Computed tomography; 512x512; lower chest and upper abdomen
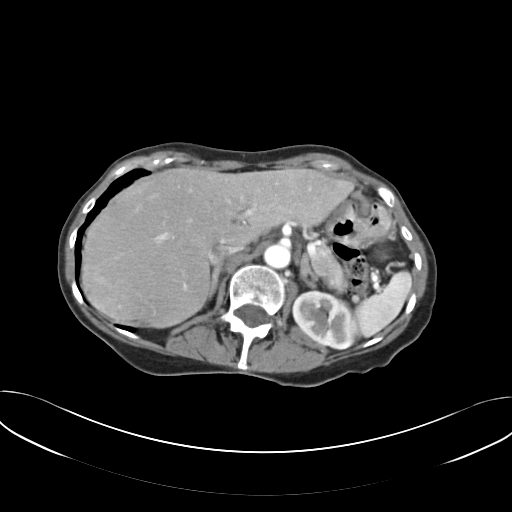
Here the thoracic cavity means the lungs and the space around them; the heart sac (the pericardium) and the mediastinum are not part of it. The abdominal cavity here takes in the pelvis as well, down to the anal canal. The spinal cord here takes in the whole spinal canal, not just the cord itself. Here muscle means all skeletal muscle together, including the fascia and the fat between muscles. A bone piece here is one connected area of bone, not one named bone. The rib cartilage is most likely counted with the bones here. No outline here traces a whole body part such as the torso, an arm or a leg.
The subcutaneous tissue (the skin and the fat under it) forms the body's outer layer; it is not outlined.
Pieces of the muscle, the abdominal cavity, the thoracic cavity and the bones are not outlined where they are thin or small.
{"spinal_cord":[[[247,304],[250,304],[254,306],[258,306],[260,307],[267,314],[267,315],[269,317],[269,319],[266,322],[261,323],[258,325],[256,325],[252,327],[251,326],[248,326],[244,322],[244,321],[236,314],[236,311],[240,307],[244,305],[246,305]]],"abdominal_cavity":[[[250,166],[309,167],[376,191],[397,222],[412,260],[411,292],[387,327],[344,349],[314,341],[289,321],[297,285],[285,285],[276,270],[260,263],[242,265],[225,276],[212,309],[159,341],[108,321],[88,305],[78,282],[81,240],[109,198],[159,169]]],"thoracic_cavity":[[[134,169],[144,169],[147,171],[147,173],[144,173],[134,178],[109,197],[105,204],[95,214],[83,230],[80,240],[80,265],[77,280],[79,288],[75,277],[74,256],[75,243],[79,228],[85,220],[86,215],[95,206],[97,199],[110,184],[114,180]]],"muscle":[{"outer":[[395,195],[424,246],[428,263],[425,291],[404,330],[375,350],[307,371],[248,370],[249,348],[255,338],[264,338],[273,327],[270,318],[283,306],[289,282],[296,285],[297,292],[289,303],[288,321],[314,342],[332,350],[344,350],[358,343],[362,343],[361,348],[371,346],[383,338],[377,335],[403,312],[407,315],[414,309],[417,297],[412,292],[413,260],[406,242],[413,235],[405,225],[399,225],[389,209],[395,205]],"hole":[[415,252],[417,252],[420,255],[420,257],[421,258],[421,269],[420,270],[418,270],[416,268],[416,267],[414,265],[414,253]]},[[225,277],[229,277],[228,305],[219,319],[228,324],[231,332],[241,335],[237,368],[183,356],[166,355],[122,342],[95,326],[74,300],[80,305],[85,302],[113,324],[113,328],[122,335],[134,340],[138,339],[139,335],[159,342],[174,328],[212,310]],{"outer":[[160,150],[188,152],[207,160],[236,160],[245,162],[272,161],[309,152],[326,153],[345,159],[356,169],[374,177],[388,187],[380,185],[376,190],[372,189],[364,184],[357,184],[352,180],[339,178],[331,174],[325,174],[323,171],[309,166],[282,168],[250,165],[232,169],[200,169],[172,166],[159,168],[149,172],[147,169],[137,168],[150,169],[167,165],[177,159],[175,156],[155,155],[134,158],[112,170],[110,174],[114,179],[98,197],[91,197],[81,208],[81,212],[85,216],[84,220],[79,226],[76,226],[72,230],[68,237],[68,247],[73,251],[74,257],[74,277],[70,283],[71,291],[65,278],[64,244],[69,227],[81,204],[118,163],[131,157],[148,155]],"hole":[[317,160],[324,160],[325,161],[327,161],[328,162],[332,162],[333,163],[335,163],[338,165],[338,168],[337,169],[332,169],[331,168],[324,168],[323,167],[320,167],[319,166],[317,166],[317,165],[318,164],[317,163],[316,163],[315,162],[314,162]]}],"bones":[[[249,264],[264,265],[276,271],[284,283],[286,295],[280,309],[271,317],[260,306],[250,303],[235,311],[248,327],[269,320],[273,323],[264,337],[252,340],[247,352],[248,368],[240,369],[237,363],[242,335],[231,331],[220,316],[228,309],[231,276]],[[155,156],[161,156],[162,157],[175,157],[176,158],[175,160],[167,164],[162,164],[161,165],[158,165],[150,168],[137,167],[126,172],[115,179],[114,176],[111,174],[112,171],[129,161],[131,161],[134,159],[138,159],[142,157],[154,157]],[[380,186],[383,186],[384,187],[386,187],[387,188],[388,188],[393,193],[393,194],[395,197],[395,201],[394,202],[394,205],[392,207],[390,207],[389,206],[388,206],[385,203],[385,202],[383,200],[383,199],[378,194],[378,193],[377,192],[377,188]],[[74,278],[75,278],[75,279],[76,280],[76,283],[78,286],[78,288],[79,289],[79,290],[82,295],[82,297],[84,300],[84,303],[83,304],[80,304],[74,297],[74,296],[72,293],[72,289],[71,288],[71,283],[72,282],[72,280]],[[93,197],[97,197],[97,198],[96,199],[96,201],[95,202],[95,204],[94,205],[94,206],[85,215],[82,212],[82,208],[83,207],[83,206],[84,205],[84,204],[86,202],[87,202],[91,198],[92,198]],[[114,325],[115,325],[117,327],[119,327],[122,329],[124,329],[127,331],[129,331],[130,332],[132,332],[133,333],[138,335],[138,338],[137,338],[136,339],[134,339],[133,338],[131,338],[124,334],[122,334],[121,333],[118,332],[114,328]]]}